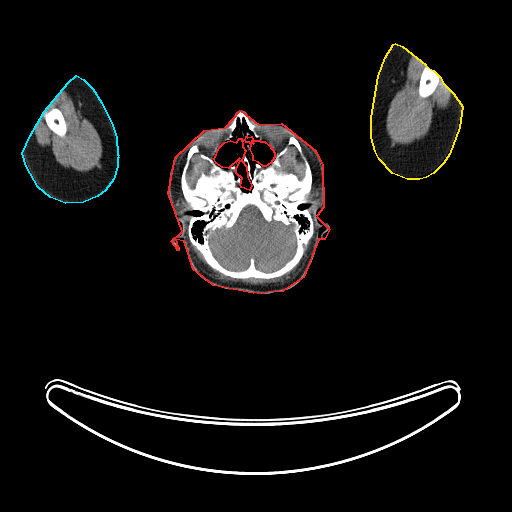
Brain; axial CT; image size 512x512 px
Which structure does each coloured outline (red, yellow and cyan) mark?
red: head; yellow: left arm; cyan: right arm.
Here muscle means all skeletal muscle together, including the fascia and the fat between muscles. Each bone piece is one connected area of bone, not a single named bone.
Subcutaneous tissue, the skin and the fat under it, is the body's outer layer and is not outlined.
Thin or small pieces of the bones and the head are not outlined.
The head is outlined by 240 110; 258 124; 281 123; 315 150; 322 165; 323 207; 316 216; 329 229; 324 239; 318 239; 303 277; 282 291; 253 293; 213 285; 193 269; 184 241; 175 239; 178 250; 171 241; 182 231; 168 193; 175 157; 204 130; 225 127; inner edges: 239 138; 241 138; 242 146; 245 150; 241 160; 246 166; 247 177; 251 185; 249 190; 241 187; 240 185; 242 178; 236 173; 236 168; 240 161; 239 158; 228 168; 222 167; 216 163; 214 159; 219 147; 224 142; 230 140; 236 142, then 246 136; 247 137; 251 136; 252 138; 251 141; 253 143; 254 140; 259 140; 260 141; 264 141; 269 145; 274 152; 274 157; 270 163; 265 166; 263 166; 258 162; 253 160; 253 155; 250 149; 251 144; 249 142; 246 142; 245 140. The left arm is outlined by 395 43; 402 46; 425 64; 426 66; 433 70; 439 76; 443 83; 453 93; 462 106; 459 127; 449 154; 443 163; 433 173; 426 177; 419 179; 407 179; 392 173; 379 159; 375 151; 371 137; 371 117; 378 76; 385 57; 393 44. The right arm is outlined by 76 75; 83 79; 92 88; 101 102; 112 125; 116 137; 117 154; 118 155; 117 156; 118 157; 117 158; 117 166; 113 179; 105 190; 97 196; 83 202; 65 203; 50 197; 38 187; 26 166; 22 153; 30 135; 44 111; 68 82. The muscle appears in 7 outlined pieces: piece 1: 412 54; 426 66; 421 71; 419 77; 418 96; 423 99; 429 97; 440 83; 440 78; 450 90; 450 101; 447 108; 439 111; 432 117; 430 128; 424 137; 409 144; 395 144; 390 140; 385 130; 386 116; 391 99; 400 85; 401 71; piece 2: 62 89; 64 89; 80 107; 82 114; 93 124; 101 139; 102 148; 103 149; 102 157; 95 168; 87 172; 79 172; 74 170; 72 168; 63 167; 55 160; 54 156; 47 148; 40 146; 37 141; 33 137; 30 136; 44 111; inner edge: 54 107; 59 109; 61 111; 63 115; 63 117; 64 118; 65 123; 66 124; 66 133; 65 135; 62 137; 54 133; 49 128; 45 120; 45 114; 46 112; piece 3: 311 239; 306 258; 300 270; 293 277; 283 282; 267 284; 249 284; 243 282; 225 281; 215 278; 206 271; 191 247; 191 244; 196 248; 205 262; 212 269; 225 276; 235 279; 272 279; 289 272; 300 262; 305 251; 304 246; 307 245; piece 4: 291 146; 294 146; 296 148; 296 149; 298 151; 303 161; 303 164; 304 165; 304 174; 303 176; 300 178; 295 173; 291 171; 286 171; 285 170; 283 170; 281 168; 281 161; 280 160; 281 159; 281 157; 283 155; 284 155; 289 150; piece 5: 197 153; 201 159; 206 161; 209 164; 210 167; 208 170; 208 173; 205 173; 202 171; 197 178; 194 185; 193 186; 191 186; 189 185; 187 182; 187 170; 189 167; 189 164; 190 163; 191 157; 194 154; 196 154; piece 6: 300 144; 301 144; 301 145; 309 152; 311 156; 311 161; 315 173; 315 179; 316 180; 316 186; 317 187; 317 194; 309 199; 308 198; 308 195; 310 193; 312 188; 313 176; 312 175; 312 170; 311 169; 310 163; 304 154; 302 147; piece 7: 186 155; 185 161; 181 169; 181 173; 180 174; 180 189; 182 192; 182 195; 188 205; 187 207; 181 205; 178 203; 177 201; 178 200; 177 180; 178 179; 178 173; 179 172; 178 170; 180 166; 180 163; 182 162; 182 160; 184 159. The brain is outlined by 247 206; 255 207; 268 223; 272 221; 280 222; 292 228; 295 237; 294 251; 291 257; 276 269; 265 271; 258 268; 253 257; 249 259; 249 263; 245 268; 231 269; 223 265; 211 249; 209 239; 212 232; 222 228; 227 230; 231 228. The bones appear in 3 outlined pieces: piece 1: 240 110; 259 126; 262 140; 244 137; 254 162; 267 166; 294 136; 311 170; 313 235; 299 262; 272 278; 215 270; 187 232; 189 215; 199 213; 181 189; 192 145; 224 169; 239 159; 239 185; 252 188; 242 138; 224 141; 220 131 with holes at 247 206; 255 207; 268 223; 272 221; 280 222; 292 228; 295 237; 294 251; 291 257; 276 269; 265 271; 258 268; 253 257; 249 259; 249 263; 245 268; 231 269; 223 265; 211 249; 209 239; 212 232; 222 228; 227 230; 231 228 and at 291 146; 294 146; 296 148; 296 149; 298 151; 303 161; 303 164; 304 165; 304 174; 303 176; 300 178; 295 173; 291 171; 286 171; 285 170; 283 170; 281 168; 281 161; 280 160; 281 159; 281 157; 283 155; 284 155; 289 150 and at 197 153; 201 159; 206 161; 209 164; 210 167; 208 170; 208 173; 205 173; 202 171; 197 178; 194 185; 193 186; 191 186; 189 185; 187 182; 187 170; 189 167; 189 164; 190 163; 191 157; 194 154; 196 154; piece 2: 427 66; 433 70; 433 71; 435 72; 438 76; 439 76; 439 83; 435 88; 434 91; 429 96; 424 97; 423 98; 419 96; 419 94; 418 93; 418 88; 419 87; 419 81; 420 80; 420 77; 421 76; 422 71; 424 68; piece 3: 54 107; 59 109; 61 111; 63 115; 63 117; 64 118; 65 123; 66 124; 66 133; 65 135; 62 137; 54 133; 49 128; 45 120; 45 114; 46 112.